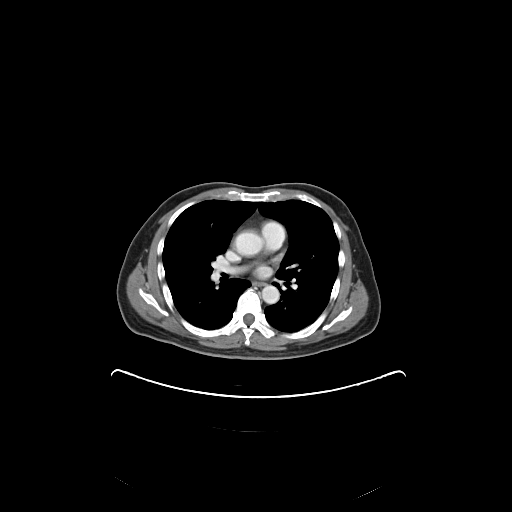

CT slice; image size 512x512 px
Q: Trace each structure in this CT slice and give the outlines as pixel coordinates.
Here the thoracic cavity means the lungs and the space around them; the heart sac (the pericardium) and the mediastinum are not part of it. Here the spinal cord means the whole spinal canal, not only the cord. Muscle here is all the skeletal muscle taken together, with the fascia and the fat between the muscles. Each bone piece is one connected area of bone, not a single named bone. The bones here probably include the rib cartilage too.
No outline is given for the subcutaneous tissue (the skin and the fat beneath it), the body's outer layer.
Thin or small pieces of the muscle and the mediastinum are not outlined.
A: {"mediastinum":[[[226,258],[227,261],[238,273],[255,280],[266,280],[275,272],[275,280],[272,282],[272,284],[277,288],[279,292],[279,300],[273,304],[266,306],[263,309],[260,297],[254,288],[250,286],[251,285],[250,281],[245,278],[240,278],[233,276],[226,263]],[[255,202],[259,202],[257,204],[257,209],[259,213],[262,216],[265,217],[263,217],[262,216],[257,216],[243,223],[243,222],[244,222],[245,220],[246,220],[255,211],[256,209],[256,205],[255,204]]],"muscle":[{"outer":[[222,187],[242,190],[218,192],[215,198],[198,202],[191,200],[170,215],[166,223],[166,235],[161,236],[156,245],[156,254],[161,256],[156,264],[156,273],[162,282],[161,291],[167,307],[171,312],[175,307],[181,316],[179,321],[187,331],[210,338],[229,336],[240,329],[245,346],[234,348],[202,345],[146,321],[132,307],[126,293],[129,274],[140,260],[144,265],[147,261],[148,250],[159,227],[158,220],[182,201]],"hole":[[139,288],[141,288],[145,292],[151,294],[154,297],[154,298],[158,303],[159,306],[162,309],[168,312],[168,315],[166,316],[162,314],[155,307],[154,307],[151,304],[149,304],[147,303],[140,295],[138,291],[138,289]]},[[274,188],[304,191],[321,200],[332,208],[349,228],[346,233],[352,257],[353,280],[358,278],[361,280],[369,298],[365,315],[354,326],[344,332],[316,342],[281,350],[260,350],[249,347],[250,337],[255,330],[267,339],[273,337],[277,333],[276,330],[281,332],[279,335],[282,338],[293,340],[302,339],[310,336],[320,327],[324,331],[329,329],[337,322],[344,320],[353,310],[353,307],[350,305],[341,310],[328,323],[323,324],[328,314],[325,309],[326,306],[328,303],[332,303],[339,293],[341,280],[338,276],[338,271],[339,268],[344,266],[346,260],[345,253],[339,246],[342,231],[338,223],[332,220],[322,208],[322,205],[317,200],[309,194],[308,194],[305,192],[283,193],[277,189],[266,190]]],"torso":[[[214,181],[248,186],[305,182],[329,190],[341,198],[358,224],[371,259],[381,300],[380,317],[375,329],[352,343],[334,349],[302,357],[268,360],[231,359],[204,355],[131,331],[124,323],[117,304],[116,284],[132,238],[152,212],[170,195],[186,187]]],"bones":[{"outer":[[249,287],[257,293],[265,318],[276,331],[273,336],[267,338],[255,329],[249,337],[249,345],[246,346],[244,343],[245,335],[240,328],[229,335],[203,337],[190,332],[181,323],[180,318],[182,317],[192,325],[206,330],[224,326],[232,318],[239,296]],"hole":[[246,314],[251,314],[252,315],[253,315],[253,316],[254,317],[254,319],[253,320],[253,321],[250,324],[246,324],[245,323],[245,322],[244,321],[244,316]]},[[230,190],[245,191],[246,192],[263,192],[270,190],[277,190],[283,194],[305,193],[317,201],[321,205],[321,207],[297,198],[289,198],[276,201],[249,201],[248,200],[229,200],[228,199],[216,198],[215,196],[216,194],[218,193],[225,193]],[[350,306],[352,307],[352,310],[344,319],[337,321],[325,330],[322,329],[320,326],[310,335],[296,339],[286,338],[280,335],[282,332],[288,333],[295,332],[308,326],[324,310],[326,310],[327,314],[322,324],[323,325],[328,324],[341,311],[347,309]],[[139,288],[141,288],[145,292],[151,294],[154,297],[154,298],[158,303],[159,306],[162,309],[168,312],[168,315],[166,316],[162,314],[155,307],[154,307],[151,304],[149,304],[147,303],[140,295],[138,291],[138,289]],[[163,282],[166,282],[169,288],[169,290],[171,294],[171,297],[172,298],[172,300],[174,304],[174,309],[173,311],[171,311],[170,310],[164,298],[164,295],[162,291],[162,284]],[[191,201],[195,201],[196,202],[196,203],[189,206],[183,211],[182,211],[173,221],[173,222],[171,224],[171,225],[169,227],[169,228],[168,228],[168,227],[167,226],[167,223],[168,222],[168,220],[171,216],[171,215],[183,205],[184,205]],[[337,276],[338,277],[339,277],[339,279],[340,280],[340,283],[339,284],[339,290],[338,291],[338,293],[337,294],[335,299],[332,302],[329,302],[329,298],[330,297],[330,294],[331,293],[331,291],[332,290],[332,288],[333,287],[334,282],[335,281]],[[159,261],[161,261],[162,262],[162,264],[163,265],[163,268],[164,269],[164,272],[165,273],[165,276],[164,277],[164,279],[162,281],[161,281],[159,279],[159,278],[158,277],[158,274],[157,273],[157,264],[158,263],[158,262]],[[340,249],[341,249],[343,251],[343,252],[344,253],[344,255],[345,256],[345,260],[344,261],[344,264],[343,265],[343,266],[342,267],[341,267],[340,268],[339,267],[339,266],[338,265],[338,254],[339,253],[339,250]],[[161,237],[165,237],[164,238],[164,242],[163,243],[163,249],[162,250],[162,253],[161,254],[161,255],[160,256],[159,256],[157,254],[157,245],[158,244],[158,242],[159,241],[159,240],[160,239],[160,238]],[[332,221],[335,221],[337,223],[337,224],[338,225],[338,226],[340,228],[340,230],[341,231],[341,237],[340,238],[340,239],[338,239],[338,238],[337,237],[337,236],[336,235],[336,233],[335,232],[335,231],[334,230],[334,227],[333,226],[333,222]]],"pericardium":[[[257,217],[269,218],[279,222],[284,226],[288,237],[288,245],[287,248],[278,266],[276,268],[275,271],[266,279],[255,279],[252,277],[250,277],[247,275],[238,272],[238,271],[228,261],[226,257],[226,252],[228,249],[234,232],[241,225]]],"thoracic_cavity":[[[210,199],[254,202],[255,209],[233,232],[223,256],[231,275],[235,278],[245,279],[249,281],[250,285],[238,296],[231,318],[220,327],[206,329],[189,322],[176,308],[170,288],[165,278],[166,273],[162,261],[162,254],[167,233],[178,216],[189,207]],[[289,199],[297,199],[321,208],[332,222],[339,247],[337,275],[327,304],[311,323],[290,332],[275,329],[267,320],[264,312],[266,307],[280,300],[280,292],[273,282],[276,280],[276,272],[289,245],[288,233],[282,223],[262,215],[258,209],[260,202]]],"spinal_cord":[[[246,314],[251,314],[252,315],[253,315],[253,316],[254,317],[254,319],[253,320],[253,321],[250,324],[246,324],[245,323],[245,322],[244,321],[244,316]]]}